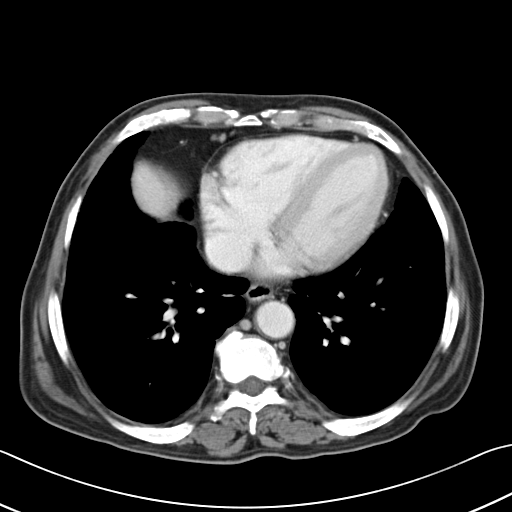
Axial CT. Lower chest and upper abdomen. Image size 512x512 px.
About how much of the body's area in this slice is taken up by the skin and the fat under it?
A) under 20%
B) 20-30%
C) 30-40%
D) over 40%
A) under 20%
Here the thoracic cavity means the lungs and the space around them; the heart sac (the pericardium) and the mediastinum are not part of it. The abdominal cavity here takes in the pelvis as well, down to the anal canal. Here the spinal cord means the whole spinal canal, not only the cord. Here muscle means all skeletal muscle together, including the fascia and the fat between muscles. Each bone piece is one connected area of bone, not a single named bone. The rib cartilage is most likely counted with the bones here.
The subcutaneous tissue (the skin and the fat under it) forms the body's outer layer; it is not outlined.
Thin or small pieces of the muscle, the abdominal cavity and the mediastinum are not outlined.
Outlines:
torso: 198 91; 318 93; 357 100; 391 118; 428 159; 461 208; 484 283; 477 360; 465 393; 453 407; 382 444; 307 459; 262 456; 234 465; 129 453; 53 427; 28 407; 18 386; 21 294; 62 180; 96 134; 128 107; 157 96
bones 1: 233 329; 270 343; 293 373; 288 388; 281 379; 273 382; 287 405; 267 404; 259 410; 253 435; 249 432; 250 412; 245 408; 231 407; 216 421; 209 417; 214 406; 233 387; 224 381; 218 390; 214 378; 218 362; 213 351; 216 341 with a hole at 250 376; 254 376; 256 377; 258 379; 261 380; 265 384; 262 390; 259 393; 255 395; 250 395; 242 391; 240 389; 240 387; 239 386; 240 384; 244 380; 245 380; 248 377
bones 2: 208 105; 235 109; 242 116; 251 113; 258 116; 267 108; 295 108; 303 112; 301 125; 275 128; 268 124; 267 118; 261 125; 227 126; 222 121; 205 125; 192 116; 140 131; 117 145; 113 143; 134 117; 181 107; 193 112; 199 106
bones 3: 413 396; 413 399; 406 408; 393 419; 379 427; 363 433; 360 433; 354 436; 339 435; 327 429; 322 424; 322 422; 325 420; 331 420; 338 417; 345 418; 346 417; 356 417; 357 416; 368 415; 377 412; 389 406; 397 400; 402 401
bones 4: 320 115; 328 115; 339 119; 365 120; 371 123; 376 124; 381 127; 397 143; 400 147; 402 152; 401 154; 395 154; 379 142; 353 131; 342 130; 341 129; 322 131; 316 126; 314 126; 312 124; 307 123; 306 122; 307 121; 310 121
bones 5: 107 416; 133 425; 143 425; 146 424; 147 425; 166 427; 175 425; 184 421; 188 421; 190 423; 192 423; 194 425; 194 427; 189 434; 177 441; 171 443; 161 443; 160 444; 159 443; 152 443; 130 436; 118 430; 112 426; 106 419
bones 6: 52 290; 54 290; 57 293; 60 300; 60 304; 61 305; 61 316; 63 322; 63 327; 64 328; 66 339; 70 349; 70 356; 67 360; 67 363; 64 363; 61 360; 56 350; 49 327; 48 316; 47 315; 47 302; 48 301; 49 294
bones 7: 449 288; 452 288; 458 296; 459 299; 459 314; 458 315; 457 325; 451 343; 448 348; 446 350; 443 351; 442 348; 438 345; 438 340; 443 326; 443 322; 445 316; 445 310; 446 309; 447 291
bones 8: 424 184; 429 185; 435 193; 443 210; 444 215; 446 218; 447 228; 448 229; 448 234; 449 235; 449 240; 448 242; 445 244; 444 244; 444 242; 442 238; 440 228; 430 208; 430 206; 424 195; 424 188; 423 187; 423 185
bones 9: 79 194; 82 194; 83 198; 82 199; 82 201; 77 214; 76 221; 75 222; 75 224; 73 228; 73 231; 71 235; 70 243; 69 244; 68 249; 66 249; 64 247; 64 234; 65 233; 65 229; 66 228; 66 224; 67 223; 68 213
mediastinum 1: 170 124; 321 131; 230 138; 198 177; 203 256; 206 259; 214 270; 238 276; 272 279; 321 274; 296 279; 288 298; 296 320; 288 349; 295 376; 260 336; 235 328; 222 336; 245 312; 248 281; 220 274; 206 265; 196 247; 190 190; 167 163; 137 155; 146 130
mediastinum 2: 337 130; 353 132; 379 143; 397 157; 411 178; 410 179; 408 177; 404 177; 401 180; 394 200; 393 209; 388 216; 392 207; 392 193; 394 188; 393 166; 388 157; 381 148; 369 141; 357 137; 344 137; 341 135; 326 133; 329 131
muscle 1: 296 376; 322 403; 347 416; 356 416; 338 416; 321 422; 339 436; 353 437; 346 440; 282 449; 266 446; 250 437; 239 452; 222 457; 185 444; 171 444; 192 432; 195 425; 188 420; 166 426; 147 424; 185 413; 213 379; 218 391; 224 382; 232 387; 213 406; 209 419; 216 422; 231 408; 245 409; 249 412; 248 432; 253 436; 259 411; 267 405; 289 403; 274 382; 281 380; 288 389
muscle 2: 117 131; 112 139; 116 146; 67 213; 62 296; 61 300; 52 289; 46 302; 48 327; 60 360; 67 364; 71 351; 99 400; 113 412; 143 424; 107 415; 105 419; 116 430; 58 403; 41 388; 33 368; 32 315; 63 211; 91 157
muscle 3: 384 129; 398 138; 415 156; 418 163; 433 180; 433 184; 450 214; 470 300; 471 321; 466 347; 455 372; 436 392; 412 410; 400 415; 392 423; 381 426; 400 415; 414 399; 413 395; 402 400; 399 399; 415 382; 437 343; 443 352; 449 348; 460 314; 459 296; 452 287; 447 290; 446 285; 444 245; 449 242; 450 235; 444 210; 429 184; 422 185; 423 194; 396 155; 402 154; 401 147
muscle 4: 299 105; 328 105; 334 107; 339 107; 364 115; 373 122; 365 119; 339 118; 328 114; 320 114; 305 122; 320 130; 296 128; 292 127; 292 126; 294 125; 301 126; 304 123; 304 121; 302 120; 304 112; 295 107; 287 107; 295 107
muscle 5: 187 98; 201 98; 202 99; 206 99; 213 104; 216 104; 217 105; 222 105; 227 104; 232 107; 240 108; 241 111; 243 113; 245 113; 245 114; 242 115; 235 108; 226 108; 220 105; 216 105; 215 104; 208 104; 207 105; 199 105; 195 107; 193 111; 189 107; 183 107; 182 106; 180 107; 171 107; 170 108; 161 108; 151 112; 143 113; 134 116; 127 122; 131 117; 136 115; 141 111; 156 104; 171 100; 186 99
abdominal cavity: 136 154; 137 156; 138 154; 143 154; 144 156; 155 158; 171 167; 177 179; 191 194; 192 199; 186 199; 182 202; 178 211; 186 220; 190 220; 193 217; 194 215; 194 208; 193 217; 193 226; 184 221; 157 222; 138 208; 132 196; 130 186; 132 164
thoracic cavity 1: 143 131; 147 136; 137 148; 129 176; 137 208; 157 223; 192 226; 196 251; 205 265; 247 281; 241 295; 244 312; 215 341; 208 380; 194 403; 180 415; 146 423; 113 411; 94 393; 70 348; 61 304; 68 250; 84 196; 115 148
thoracic cavity 2: 404 178; 414 182; 424 196; 443 242; 446 299; 442 326; 426 364; 398 399; 368 414; 347 415; 322 402; 297 376; 289 356; 297 322; 289 298; 295 293; 293 285; 296 280; 319 276; 333 270; 349 258; 385 222; 394 209; 399 186
thoracic cavity 3: 190 199; 191 200; 192 200; 194 202; 194 207; 193 208; 193 215; 192 216; 192 217; 190 219; 186 219; 180 213; 180 212; 179 211; 180 210; 180 206; 182 204; 182 203; 183 203; 186 200; 189 200
spinal cord: 250 376; 254 376; 256 377; 258 379; 261 380; 265 384; 262 390; 259 393; 255 395; 250 395; 242 391; 240 389; 240 387; 239 386; 240 384; 244 380; 245 380; 248 377
pericardium: 289 130; 305 133; 325 132; 344 138; 357 138; 381 149; 391 164; 393 172; 391 207; 387 216; 349 257; 329 271; 297 277; 272 278; 252 274; 238 275; 214 269; 204 256; 198 199; 200 171; 207 164; 208 158; 230 139; 259 132